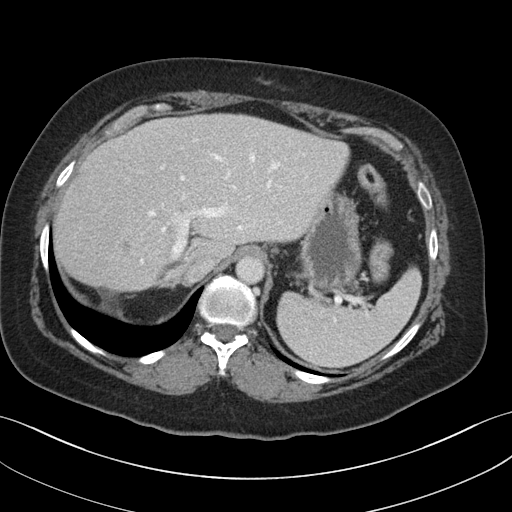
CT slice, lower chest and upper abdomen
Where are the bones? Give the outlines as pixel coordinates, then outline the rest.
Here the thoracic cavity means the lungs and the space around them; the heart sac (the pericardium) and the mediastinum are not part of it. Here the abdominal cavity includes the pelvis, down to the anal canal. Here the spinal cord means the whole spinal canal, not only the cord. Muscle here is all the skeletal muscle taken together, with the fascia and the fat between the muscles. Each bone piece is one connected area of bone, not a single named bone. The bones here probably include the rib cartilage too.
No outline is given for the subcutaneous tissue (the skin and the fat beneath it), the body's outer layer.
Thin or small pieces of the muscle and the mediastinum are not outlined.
{"bones":[{"outer":[[220,274],[234,277],[253,289],[257,294],[256,318],[244,330],[248,342],[238,347],[230,355],[225,367],[226,374],[223,376],[218,374],[216,352],[211,346],[200,340],[200,336],[206,328],[206,323],[199,315],[197,309],[198,300],[204,287],[214,277]],"hole":[[215,324],[230,324],[231,325],[233,325],[234,326],[235,326],[238,329],[239,332],[235,335],[234,335],[233,336],[232,339],[231,339],[228,341],[222,341],[221,340],[218,339],[217,338],[216,335],[211,331],[211,329],[212,328],[213,325],[214,325]]},[[156,102],[165,102],[168,104],[170,104],[172,106],[171,109],[162,109],[158,111],[150,110],[145,115],[132,120],[118,131],[116,131],[110,135],[107,135],[105,133],[105,129],[111,122],[126,110],[128,110],[139,105],[142,105],[143,104],[150,105]],[[360,126],[371,126],[372,127],[382,128],[391,133],[394,136],[399,139],[403,143],[404,146],[400,151],[396,151],[391,149],[380,139],[372,137],[369,135],[360,135],[356,133],[344,132],[341,130],[344,128],[346,128],[347,127],[359,127]],[[417,322],[422,322],[422,323],[412,339],[401,350],[400,350],[397,353],[394,354],[392,356],[388,358],[386,358],[385,359],[381,359],[381,357],[385,353],[386,353],[396,343],[396,342],[398,341],[398,340],[408,330],[408,329],[413,324]],[[47,222],[48,222],[50,225],[49,242],[48,243],[48,249],[47,250],[47,262],[48,263],[48,273],[45,271],[42,265],[42,263],[41,262],[41,258],[40,257],[40,250],[39,249],[39,239],[40,238],[40,235],[41,234],[42,229],[45,223]],[[71,326],[75,330],[76,330],[81,335],[82,335],[91,343],[92,343],[94,345],[104,350],[106,353],[106,355],[102,355],[98,353],[93,353],[87,350],[80,344],[79,344],[72,336],[72,335],[69,331],[69,328]],[[293,368],[295,368],[298,370],[300,370],[301,371],[304,371],[308,373],[315,374],[316,375],[324,375],[325,376],[328,376],[331,378],[331,380],[328,382],[325,382],[324,383],[309,383],[294,376],[293,374],[293,372],[292,371],[292,369]],[[419,180],[421,180],[425,184],[425,185],[429,190],[429,192],[430,193],[430,195],[431,196],[431,200],[432,201],[432,208],[431,208],[430,209],[425,209],[423,207],[422,204],[420,202],[420,201],[418,198],[418,196],[417,195],[417,182]],[[432,228],[435,228],[435,229],[436,230],[436,233],[437,234],[437,242],[438,243],[438,249],[437,250],[437,255],[436,256],[436,258],[434,260],[430,260],[429,259],[429,256],[428,255],[428,240],[429,239],[429,234],[430,233],[430,231]],[[162,349],[166,349],[165,351],[165,354],[161,358],[160,358],[155,362],[149,363],[148,364],[143,364],[142,363],[138,362],[137,360],[137,359],[139,357],[143,355],[145,355],[146,354],[148,354],[152,352],[155,352],[156,351],[158,351]],[[73,160],[75,160],[76,161],[75,162],[75,164],[73,167],[73,169],[71,173],[69,175],[66,181],[60,187],[57,187],[55,185],[55,183],[56,182],[56,180],[57,179],[57,177],[58,175],[60,173],[60,172],[71,161]]],"abdominal_cavity":[[[246,101],[374,138],[399,153],[414,175],[427,234],[425,297],[413,323],[387,351],[345,373],[318,371],[272,349],[257,317],[268,265],[256,249],[244,249],[173,317],[149,326],[82,305],[58,273],[50,222],[62,186],[90,148],[162,110]]],"thoracic_cavity":[[[51,233],[53,259],[57,273],[65,290],[82,306],[108,318],[132,326],[157,326],[173,318],[191,296],[202,287],[202,291],[197,300],[195,312],[186,330],[176,341],[167,347],[138,357],[116,354],[91,342],[69,323],[54,294],[49,275],[48,262]],[[273,349],[277,350],[281,354],[293,362],[295,362],[297,364],[299,364],[301,366],[303,366],[306,368],[326,374],[342,374],[339,376],[332,376],[331,377],[324,374],[316,374],[315,373],[312,373],[311,372],[298,369],[288,364],[278,357],[273,351]]],"muscle":[{"outer":[[193,89],[202,89],[207,91],[216,92],[238,93],[270,99],[291,100],[309,103],[337,111],[339,110],[343,111],[394,127],[406,135],[418,146],[434,174],[445,201],[450,230],[452,264],[443,293],[446,327],[443,336],[435,346],[434,345],[431,346],[419,355],[405,362],[398,368],[384,375],[379,379],[357,388],[307,401],[288,403],[268,403],[255,400],[249,397],[222,378],[219,378],[204,390],[186,395],[184,394],[183,395],[170,395],[146,389],[127,382],[93,366],[52,342],[42,334],[36,326],[31,316],[31,310],[29,306],[29,283],[32,267],[33,228],[36,202],[50,174],[60,160],[83,133],[92,127],[104,115],[122,103],[139,96],[159,91],[192,90]],"hole":[[246,101],[271,104],[337,132],[347,127],[382,128],[403,143],[397,152],[409,165],[415,185],[421,180],[431,196],[432,208],[423,209],[427,239],[435,228],[438,243],[436,258],[428,262],[426,294],[413,321],[422,322],[417,332],[392,356],[381,359],[381,353],[324,383],[309,383],[294,376],[294,367],[275,354],[257,317],[245,328],[248,342],[230,355],[223,376],[218,374],[216,352],[200,340],[206,323],[197,309],[183,334],[155,362],[143,364],[136,356],[106,350],[106,355],[102,355],[87,350],[70,333],[71,325],[40,257],[40,235],[45,223],[52,219],[62,189],[55,185],[58,175],[105,138],[105,129],[111,122],[133,107],[165,102],[172,110],[212,109]]}],"spinal_cord":[[[215,324],[230,324],[231,325],[233,325],[234,326],[235,326],[238,329],[239,332],[235,335],[234,335],[233,336],[232,339],[231,339],[228,341],[222,341],[221,340],[218,339],[217,338],[216,335],[211,331],[211,329],[212,328],[213,325],[214,325]]],"torso":[[[181,56],[305,66],[371,81],[417,100],[444,123],[457,144],[470,181],[485,247],[488,337],[482,358],[466,377],[368,426],[329,435],[265,441],[167,433],[68,400],[36,386],[18,372],[0,337],[0,224],[19,166],[54,112],[85,83],[131,63]]],"mediastinum":[[[244,250],[256,250],[261,254],[267,265],[267,273],[265,278],[265,283],[263,284],[263,289],[261,290],[261,293],[257,299],[257,295],[258,294],[254,291],[253,288],[251,288],[245,283],[240,281],[230,274],[222,274],[220,273],[240,253],[243,252]]]}